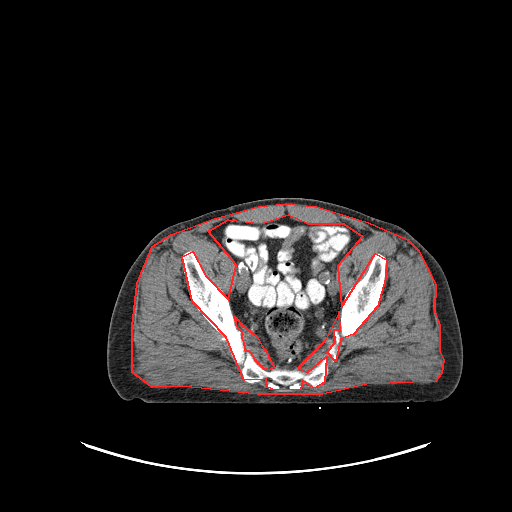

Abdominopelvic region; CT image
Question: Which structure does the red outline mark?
Answer: red: muscle.
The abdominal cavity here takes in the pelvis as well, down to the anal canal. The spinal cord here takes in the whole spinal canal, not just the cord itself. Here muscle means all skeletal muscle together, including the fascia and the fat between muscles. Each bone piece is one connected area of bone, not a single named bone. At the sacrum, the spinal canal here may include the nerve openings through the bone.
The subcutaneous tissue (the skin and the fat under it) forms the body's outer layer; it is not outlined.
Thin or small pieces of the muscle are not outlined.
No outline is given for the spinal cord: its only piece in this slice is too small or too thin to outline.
{"muscle":[{"outer":[[285,203],[316,206],[368,222],[407,239],[418,250],[435,284],[434,311],[439,325],[439,351],[443,359],[441,373],[435,381],[366,384],[322,394],[257,394],[182,386],[152,387],[132,372],[132,326],[137,283],[152,246],[171,234],[214,218],[258,206]],"hole":[[288,214],[308,223],[343,223],[362,236],[337,266],[341,307],[375,253],[386,259],[385,278],[377,306],[353,334],[340,339],[335,361],[327,352],[335,341],[334,329],[340,329],[339,311],[324,341],[298,367],[307,372],[326,356],[324,382],[314,388],[302,380],[300,389],[275,390],[267,387],[266,379],[244,380],[226,337],[192,301],[182,256],[192,251],[205,275],[228,299],[236,265],[208,231],[228,219],[261,223]]},[[234,316],[243,326],[244,326],[257,337],[261,345],[267,353],[268,357],[273,365],[273,367],[268,370],[267,369],[263,368],[255,360],[252,354],[249,351],[246,351],[245,350],[244,342],[242,338],[242,332],[238,328],[236,324],[236,321],[235,320]]],"bones":[[[187,251],[195,254],[205,275],[225,293],[244,350],[263,369],[278,366],[307,372],[326,356],[328,374],[324,382],[314,388],[302,380],[297,390],[284,386],[270,389],[266,379],[246,382],[226,337],[208,322],[188,293],[182,267],[182,256]],[[375,253],[382,254],[386,259],[382,295],[375,309],[359,328],[353,334],[340,339],[337,347],[338,352],[336,359],[334,362],[332,362],[331,356],[327,352],[331,343],[335,341],[333,334],[334,329],[340,329],[340,312],[342,301],[347,291],[364,276]]],"abdominal_cavity":[[[288,214],[294,220],[308,223],[343,223],[362,236],[337,266],[336,280],[341,297],[334,325],[324,341],[298,367],[293,368],[274,366],[258,337],[234,315],[229,297],[236,279],[236,265],[232,257],[208,236],[208,231],[216,223],[228,219],[261,223]]],"torso":[[[270,197],[313,198],[353,208],[402,227],[433,255],[447,278],[463,345],[461,377],[448,397],[436,402],[421,403],[202,404],[147,403],[138,398],[125,400],[116,393],[109,381],[106,366],[108,328],[122,281],[138,254],[159,231],[172,224],[215,209]]]}